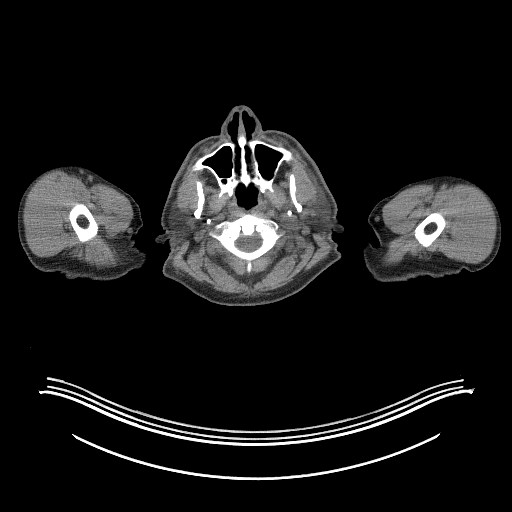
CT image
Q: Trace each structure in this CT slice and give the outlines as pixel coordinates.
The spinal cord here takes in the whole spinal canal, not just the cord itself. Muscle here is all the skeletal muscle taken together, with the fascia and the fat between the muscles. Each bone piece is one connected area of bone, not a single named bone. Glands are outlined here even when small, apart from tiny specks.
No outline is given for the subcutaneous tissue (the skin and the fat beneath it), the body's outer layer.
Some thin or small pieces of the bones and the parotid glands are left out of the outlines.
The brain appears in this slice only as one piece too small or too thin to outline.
A: {"bones":[{"outer":[[240,132],[244,132],[248,139],[259,139],[275,146],[281,146],[292,153],[293,159],[285,160],[282,162],[271,185],[273,191],[267,189],[264,193],[261,193],[253,183],[249,183],[247,186],[245,186],[242,183],[239,183],[234,190],[234,195],[228,196],[226,193],[224,193],[221,196],[219,196],[220,188],[215,177],[208,169],[203,168],[194,171],[192,170],[194,163],[200,157],[211,152],[221,143],[227,140],[235,142]],"holes":[[[258,145],[265,146],[269,148],[271,150],[273,150],[279,153],[280,155],[279,158],[277,160],[275,164],[275,166],[273,168],[273,171],[271,175],[269,177],[266,177],[264,176],[261,173],[260,171],[260,169],[259,168],[259,163],[256,157],[256,147]],[[224,147],[228,147],[230,149],[230,161],[231,162],[231,167],[230,168],[230,173],[229,175],[226,177],[223,177],[221,176],[213,167],[212,167],[208,164],[206,164],[204,163],[204,162],[206,160],[214,156]]]},{"outer":[[244,213],[255,214],[259,217],[271,219],[275,221],[278,224],[279,229],[283,231],[283,234],[276,240],[270,249],[251,262],[250,272],[247,272],[247,265],[244,260],[228,251],[217,239],[209,235],[209,232],[214,228],[216,224],[225,220],[232,221]],"hole":[[256,233],[261,239],[261,243],[260,245],[254,250],[252,250],[251,251],[245,251],[244,250],[242,250],[238,248],[236,246],[235,244],[235,242],[236,240],[240,237],[250,237],[251,236],[253,236],[254,234]]},[[76,203],[82,203],[84,204],[88,208],[88,209],[91,212],[98,226],[98,231],[97,232],[97,234],[93,238],[85,242],[81,242],[78,239],[76,235],[76,233],[74,231],[73,229],[73,227],[69,220],[69,217],[68,216],[69,214],[69,211]],[[432,212],[438,212],[440,213],[444,217],[446,221],[446,224],[444,228],[440,233],[440,234],[432,242],[432,243],[429,246],[427,247],[423,247],[415,238],[414,236],[414,230],[416,226],[424,218],[425,218],[430,213]],[[197,180],[200,181],[202,184],[202,188],[203,189],[203,192],[204,193],[204,196],[205,197],[205,200],[203,204],[203,207],[202,208],[201,215],[198,219],[197,219],[194,216],[194,214],[193,213],[197,206],[197,191],[196,190],[196,181]],[[290,174],[293,174],[295,178],[295,186],[296,187],[296,192],[295,193],[295,195],[296,196],[296,199],[297,201],[299,202],[302,206],[302,209],[300,212],[298,212],[297,211],[291,199],[291,197],[289,194],[289,176]]],"spinal_cord":[[[254,235],[256,236],[258,236],[261,239],[261,243],[260,245],[254,250],[252,250],[251,251],[245,251],[244,250],[242,250],[238,248],[236,246],[235,244],[235,242],[236,240],[240,237],[250,237]]],"head":[{"outer":[[240,104],[252,109],[263,129],[286,132],[303,146],[333,195],[336,217],[344,227],[342,232],[332,233],[339,260],[298,292],[251,306],[214,303],[166,278],[162,266],[169,248],[155,241],[164,231],[162,210],[187,152],[199,140],[218,134],[231,108]],"holes":[[[258,145],[265,146],[269,148],[271,150],[273,150],[279,153],[280,155],[279,158],[277,160],[275,164],[275,166],[273,168],[273,171],[271,175],[269,177],[266,177],[264,176],[261,173],[260,171],[260,169],[259,168],[259,163],[256,157],[256,147]],[[224,147],[228,147],[230,149],[230,161],[231,162],[231,167],[230,168],[230,173],[229,175],[226,177],[223,177],[221,176],[213,167],[212,167],[208,164],[206,164],[204,163],[204,162],[206,160],[214,156]],[[239,184],[242,184],[245,187],[247,187],[249,185],[249,184],[253,184],[253,185],[256,188],[257,188],[258,190],[258,193],[257,194],[257,197],[256,198],[256,203],[255,205],[249,208],[246,208],[238,204],[238,202],[235,195],[235,190]],[[243,112],[246,112],[246,113],[253,120],[253,122],[254,123],[254,124],[253,125],[253,129],[251,131],[251,133],[250,134],[250,137],[249,138],[248,138],[247,137],[247,136],[246,135],[246,129],[245,128],[245,126],[244,125],[244,122],[243,121]],[[236,113],[237,114],[238,114],[238,121],[237,122],[237,128],[236,129],[236,133],[237,134],[237,136],[236,137],[236,139],[235,140],[235,141],[234,141],[233,140],[232,140],[232,137],[229,132],[229,126],[233,120],[233,118],[234,117],[234,115]]]}],"left_arm":[[[439,175],[468,179],[481,187],[493,200],[501,221],[501,241],[495,257],[487,266],[474,272],[463,269],[457,274],[441,278],[421,276],[397,282],[376,280],[369,274],[362,254],[366,243],[374,246],[379,243],[367,220],[370,211],[378,201],[400,187]]],"right_arm":[[[63,165],[78,165],[88,168],[133,197],[140,208],[143,222],[134,236],[135,245],[147,256],[142,268],[132,270],[113,280],[96,281],[85,278],[65,279],[57,272],[40,271],[30,263],[17,232],[17,211],[20,198],[28,184],[36,176],[45,170]]],"parotid_glands":[[[304,166],[308,167],[314,173],[317,179],[318,185],[322,189],[329,204],[330,210],[329,217],[323,225],[320,225],[314,221],[314,219],[312,217],[315,215],[315,212],[312,209],[308,208],[308,206],[314,204],[317,201],[318,197],[314,184],[305,171]],[[173,204],[174,204],[178,208],[181,213],[185,216],[185,223],[186,226],[189,228],[189,235],[185,237],[179,242],[177,242],[176,237],[173,233],[174,230],[172,229],[175,227],[172,226],[169,222],[169,216]]],"muscle":[{"outer":[[257,134],[285,140],[307,163],[303,169],[317,197],[307,208],[314,212],[313,221],[323,228],[330,250],[325,258],[287,285],[268,295],[242,298],[214,291],[174,267],[177,243],[190,235],[186,216],[174,202],[191,158],[200,148],[224,136],[229,139],[200,156],[191,170],[208,170],[219,188],[218,196],[235,196],[237,204],[246,209],[256,205],[259,193],[273,192],[272,185],[283,162],[294,156],[281,145],[253,138]],"holes":[[[244,213],[255,214],[259,217],[271,219],[275,221],[278,224],[279,229],[283,231],[283,234],[276,240],[270,249],[251,262],[250,272],[247,272],[247,265],[244,260],[228,251],[217,239],[209,235],[209,232],[214,228],[216,224],[225,220],[232,221]],[[197,180],[200,181],[202,184],[202,188],[203,189],[203,192],[204,193],[204,196],[205,197],[205,200],[203,204],[203,207],[202,208],[201,215],[198,219],[197,219],[194,216],[194,214],[193,213],[197,206],[197,191],[196,190],[196,181]],[[290,174],[293,174],[295,178],[295,186],[296,187],[296,192],[295,193],[295,195],[296,196],[296,199],[297,201],[299,202],[302,206],[302,209],[300,212],[298,212],[297,211],[291,199],[291,197],[289,194],[289,176]]]},{"outer":[[58,170],[73,173],[91,184],[101,183],[112,187],[129,200],[133,209],[133,218],[130,225],[126,228],[126,237],[122,253],[115,266],[97,268],[62,252],[50,257],[39,257],[29,248],[25,238],[23,224],[23,209],[26,197],[32,186],[40,178]],"hole":[[76,203],[82,203],[84,204],[88,208],[88,209],[91,212],[98,226],[98,231],[97,232],[97,234],[93,238],[85,242],[81,242],[78,239],[76,235],[76,233],[74,231],[73,229],[73,227],[69,220],[69,217],[68,216],[69,214],[69,211]]},{"outer":[[444,182],[449,185],[462,183],[473,186],[490,203],[495,215],[496,233],[489,255],[482,261],[472,264],[435,252],[429,258],[406,256],[396,265],[383,265],[382,254],[390,239],[381,217],[383,206],[401,191],[412,186],[418,184],[438,186]],"hole":[[432,212],[438,212],[440,213],[444,217],[446,221],[446,224],[444,228],[440,233],[440,234],[432,242],[432,243],[429,246],[427,247],[423,247],[415,238],[414,236],[414,230],[416,226],[424,218],[425,218],[430,213]]}]}